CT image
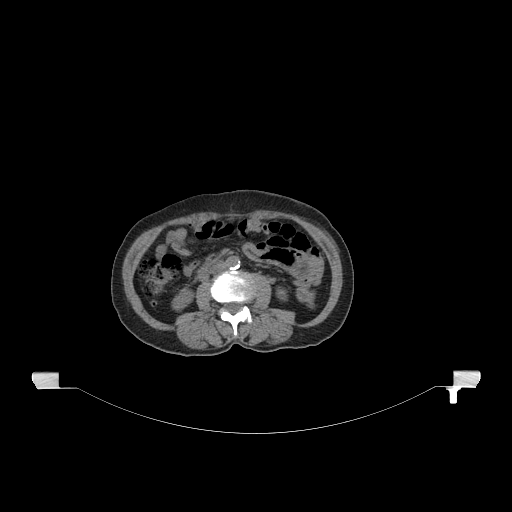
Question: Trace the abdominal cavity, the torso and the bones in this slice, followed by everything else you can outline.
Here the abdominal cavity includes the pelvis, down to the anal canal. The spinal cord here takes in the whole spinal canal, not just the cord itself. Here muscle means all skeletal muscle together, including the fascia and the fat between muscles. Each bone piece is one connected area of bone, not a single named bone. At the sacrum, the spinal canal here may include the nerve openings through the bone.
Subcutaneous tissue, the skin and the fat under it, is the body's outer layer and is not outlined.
Answer: The abdominal cavity is outlined by (237, 217) (288, 219) (307, 232) (325, 254) (330, 269) (329, 291) (321, 309) (313, 317) (299, 321) (293, 310) (269, 305) (272, 284) (266, 275) (226, 269) (196, 287) (197, 310) (184, 312) (173, 322) (152, 315) (135, 287) (134, 276) (143, 255) (160, 233) (174, 225). The torso is outlined by (237, 189) (263, 190) (303, 201) (321, 211) (340, 233) (348, 247) (354, 270) (353, 299) (343, 325) (317, 345) (271, 352) (258, 352) (234, 344) (229, 350) (216, 355) (182, 356) (143, 343) (120, 322) (111, 301) (111, 269) (124, 236) (140, 218) (176, 201) (201, 193). The bones are outlined by (226, 270) (237, 270) (248, 273) (253, 284) (253, 295) (251, 299) (247, 302) (252, 316) (252, 321) (239, 322) (237, 324) (236, 336) (234, 336) (233, 334) (232, 325) (228, 321) (222, 320) (220, 318) (218, 312) (220, 304) (212, 297) (210, 292) (210, 287) (214, 277); inner edge: (229, 302) (237, 302) (238, 303) (241, 303) (242, 304) (242, 306) (241, 307) (241, 308) (239, 310) (238, 310) (235, 313) (230, 313) (228, 311) (227, 311) (224, 308) (224, 307) (223, 306) (223, 305) (224, 304) (224, 303) (228, 303). The spinal cord is outlined by (229, 302) (237, 302) (238, 303) (241, 303) (242, 304) (242, 306) (241, 307) (241, 308) (239, 310) (238, 310) (235, 313) (230, 313) (228, 311) (227, 311) (224, 308) (224, 307) (223, 306) (223, 305) (224, 304) (224, 303) (228, 303). The muscle is outlined by (260, 209) (261, 210) (279, 211) (280, 212) (284, 212) (289, 214) (294, 214) (300, 217) (302, 217) (314, 225) (326, 230) (336, 243) (338, 247) (339, 257) (342, 266) (342, 278) (343, 279) (343, 282) (342, 283) (342, 287) (341, 288) (340, 295) (334, 308) (329, 315) (322, 322) (319, 323) (317, 325) (311, 327) (307, 327) (306, 328) (296, 328) (294, 330) (293, 334) (289, 339) (286, 341) (280, 343) (277, 343) (276, 344) (273, 344) (272, 345) (269, 345) (265, 342) (260, 342) (255, 345) (249, 345) (237, 339) (236, 340) (232, 340) (230, 341) (222, 347) (218, 347) (217, 348) (211, 347) (208, 349) (194, 349) (193, 348) (190, 348) (183, 344) (177, 338) (174, 332) (172, 331) (167, 331) (166, 330) (159, 330) (151, 327) (133, 310) (124, 292) (123, 280) (122, 279) (122, 265) (123, 264) (123, 261) (125, 255) (128, 249) (135, 239) (142, 232) (152, 227) (157, 226) (168, 220) (171, 220) (182, 216) (186, 216) (192, 213) (196, 213) (197, 212) (211, 211) (212, 212) (217, 212) (218, 213) (226, 213) (227, 212) (233, 211) (239, 213) (246, 213) (247, 212) (251, 212), around a hole outlined by (237, 217) (288, 219) (307, 232) (330, 269) (321, 309) (299, 321) (293, 310) (270, 306) (272, 284) (254, 271) (248, 273) (252, 321) (239, 322) (236, 336) (219, 316) (212, 279) (195, 289) (197, 310) (173, 322) (152, 315) (134, 276) (160, 233) (174, 225).